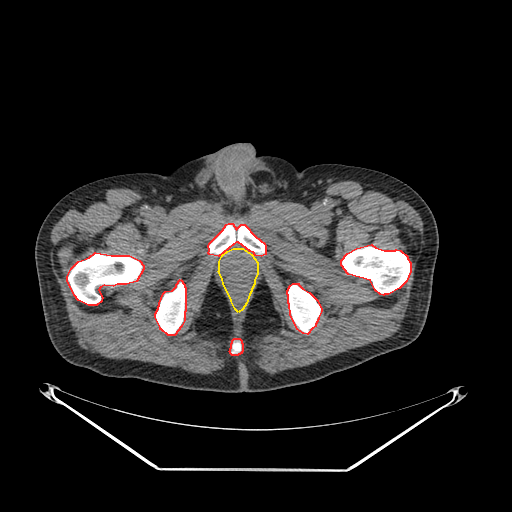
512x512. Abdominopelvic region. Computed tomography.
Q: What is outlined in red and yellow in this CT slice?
A: red: bones; yellow: abdominal cavity.
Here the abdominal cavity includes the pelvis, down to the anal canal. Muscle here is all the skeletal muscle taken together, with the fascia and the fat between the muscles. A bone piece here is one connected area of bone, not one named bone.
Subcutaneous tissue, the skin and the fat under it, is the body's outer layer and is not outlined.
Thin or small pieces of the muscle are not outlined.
Outlines:
bones 1: (95, 252) (111, 255) (129, 255) (139, 260) (143, 265) (143, 269) (136, 281) (126, 284) (117, 284) (113, 286) (104, 285) (100, 287) (98, 290) (102, 297) (101, 301) (96, 305) (88, 305) (78, 300) (74, 295) (67, 280) (67, 276) (71, 268) (78, 261) (89, 257)
bones 2: (371, 244) (375, 247) (384, 250) (395, 250) (396, 249) (400, 250) (407, 256) (407, 258) (410, 262) (410, 271) (406, 281) (399, 288) (388, 294) (384, 294) (383, 295) (380, 294) (375, 290) (370, 280) (348, 274) (341, 265) (341, 260) (347, 253) (356, 248)
bones 3: (180, 279) (184, 284) (184, 286) (185, 287) (185, 311) (184, 312) (184, 320) (181, 326) (174, 335) (168, 335) (161, 329) (160, 329) (160, 327) (155, 317) (155, 313) (158, 308) (158, 306) (159, 305) (159, 303) (163, 293) (165, 291) (172, 290) (176, 286) (176, 284)
bones 4: (293, 283) (298, 283) (298, 284) (302, 288) (309, 292) (316, 299) (321, 308) (321, 311) (318, 317) (318, 319) (315, 324) (315, 326) (312, 328) (307, 334) (303, 333) (297, 329) (290, 314) (289, 304) (288, 303) (288, 295) (287, 294) (287, 290) (290, 285)
bones 5: (228, 223) (232, 223) (236, 229) (241, 224) (244, 224) (255, 236) (264, 243) (265, 245) (265, 254) (261, 256) (255, 255) (253, 252) (250, 251) (238, 242) (236, 242) (233, 244) (218, 256) (209, 254) (208, 253) (209, 250) (208, 245) (209, 243) (222, 230) (226, 224)
bones 6: (234, 338) (239, 338) (241, 340) (241, 342) (242, 343) (242, 351) (241, 352) (241, 353) (240, 353) (239, 354) (238, 354) (237, 355) (232, 355) (230, 353) (230, 352) (229, 351) (230, 350) (230, 348) (231, 347) (231, 343) (232, 342) (232, 340)
abdominal cavity: (233, 248) (242, 248) (251, 254) (257, 262) (257, 273) (254, 280) (254, 284) (251, 289) (251, 291) (249, 294) (246, 303) (242, 309) (238, 312) (235, 309) (231, 301) (231, 299) (223, 284) (222, 278) (218, 271) (219, 270) (219, 261) (222, 255) (227, 251)
muscle: (341, 180) (382, 186) (396, 192) (419, 213) (423, 222) (422, 246) (416, 259) (406, 315) (401, 322) (401, 328) (392, 336) (274, 374) (255, 365) (250, 351) (244, 357) (231, 357) (221, 369) (213, 373) (200, 374) (151, 362) (104, 357) (81, 348) (76, 342) (50, 260) (51, 230) (73, 203) (92, 192) (122, 187) (137, 189) (158, 202) (174, 207) (196, 200) (207, 200) (220, 203) (230, 214) (241, 215) (253, 204) (311, 197) (331, 183) with holes at (228, 223) (232, 223) (236, 229) (241, 224) (244, 224) (265, 245) (265, 254) (261, 256) (255, 255) (238, 242) (223, 252) (225, 253) (233, 248) (242, 248) (251, 254) (257, 262) (254, 284) (246, 303) (238, 312) (218, 271) (222, 255) (215, 256) (208, 253) (209, 243) and at (95, 252) (111, 255) (129, 255) (139, 260) (143, 265) (143, 269) (136, 281) (126, 284) (117, 284) (113, 286) (104, 285) (100, 287) (98, 290) (102, 297) (101, 301) (96, 305) (88, 305) (78, 300) (74, 295) (67, 280) (67, 276) (71, 268) (78, 261) (89, 257) and at (371, 244) (375, 247) (384, 250) (395, 250) (396, 249) (400, 250) (407, 256) (407, 258) (410, 262) (410, 271) (406, 281) (399, 288) (388, 294) (384, 294) (383, 295) (380, 294) (375, 290) (370, 280) (348, 274) (341, 265) (341, 260) (347, 253) (356, 248) and at (212, 277) (213, 277) (212, 280) (220, 288) (224, 295) (230, 310) (230, 317) (232, 321) (232, 334) (225, 341) (220, 340) (217, 337) (213, 338) (203, 337) (203, 334) (200, 333) (196, 329) (195, 325) (196, 319) (201, 315) (202, 305) (208, 291) (208, 287) (212, 281) and at (261, 280) (263, 280) (269, 288) (272, 304) (274, 309) (279, 316) (280, 322) (278, 324) (279, 326) (272, 332) (269, 332) (263, 335) (254, 335) (252, 341) (251, 342) (248, 342) (243, 338) (243, 325) (242, 323) (246, 318) (247, 310) (252, 299) (254, 297) (255, 291) and at (180, 279) (184, 284) (184, 286) (185, 287) (185, 311) (184, 312) (184, 320) (181, 326) (174, 335) (168, 335) (161, 329) (160, 329) (160, 327) (155, 317) (155, 313) (158, 308) (158, 306) (159, 305) (159, 303) (163, 293) (165, 291) (172, 290) (176, 286) (176, 284) and at (293, 283) (298, 283) (298, 284) (302, 288) (309, 292) (316, 299) (321, 308) (321, 311) (318, 317) (318, 319) (315, 324) (315, 326) (312, 328) (307, 334) (303, 333) (297, 329) (290, 314) (289, 304) (288, 303) (288, 295) (287, 294) (287, 290) (290, 285) and at (234, 338) (239, 338) (241, 340) (241, 342) (242, 343) (242, 351) (241, 352) (241, 353) (240, 353) (239, 354) (238, 354) (237, 355) (232, 355) (230, 353) (230, 352) (229, 351) (230, 350) (230, 348) (231, 347) (231, 343) (232, 342) (232, 340)
torso: (235, 142) (250, 142) (258, 155) (283, 158) (298, 170) (321, 163) (378, 170) (424, 199) (436, 220) (439, 247) (419, 336) (402, 348) (321, 379) (261, 392) (192, 390) (110, 377) (63, 359) (46, 330) (34, 258) (37, 233) (50, 209) (96, 179) (133, 172) (166, 175)